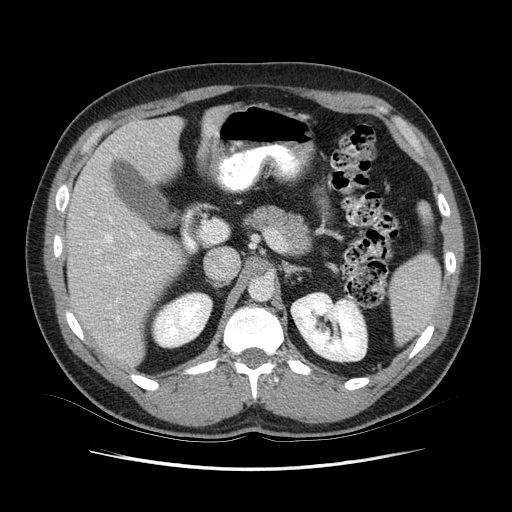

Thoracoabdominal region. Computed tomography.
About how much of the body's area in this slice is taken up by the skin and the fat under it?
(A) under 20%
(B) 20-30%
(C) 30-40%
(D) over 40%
Answer: (A) under 20%
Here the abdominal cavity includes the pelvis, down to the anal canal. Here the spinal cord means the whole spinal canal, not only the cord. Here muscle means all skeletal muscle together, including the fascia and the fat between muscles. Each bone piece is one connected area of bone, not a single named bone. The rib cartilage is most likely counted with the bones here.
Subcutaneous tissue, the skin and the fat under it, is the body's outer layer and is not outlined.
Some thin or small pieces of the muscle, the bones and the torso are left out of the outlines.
The bones appear in 11 outlined pieces: piece 1: (253, 399) (257, 397) (258, 377) (264, 373) (271, 373) (276, 367) (274, 355) (283, 355) (286, 352) (285, 349) (281, 351) (278, 349) (284, 337) (277, 316) (256, 304) (237, 308) (228, 318) (223, 330) (223, 343) (233, 359) (230, 364) (237, 373) (243, 373) (248, 377); inner edge: (251, 368) (255, 368) (256, 367) (257, 367) (260, 364) (266, 362) (268, 359) (268, 356) (262, 350) (261, 350) (258, 348) (248, 348) (247, 349) (244, 350) (239, 355) (239, 358) (240, 359) (240, 361) (241, 362) (244, 363) (247, 366) (248, 366); piece 2: (420, 155) (423, 155) (424, 154) (423, 152) (423, 148) (418, 138) (415, 135) (407, 123) (399, 116) (395, 114) (390, 114) (388, 109) (384, 106) (382, 105) (376, 105) (375, 108) (380, 113) (385, 115) (388, 114) (390, 115) (390, 120) (392, 123) (409, 145); piece 3: (180, 374) (197, 374) (198, 373) (209, 371) (213, 369) (216, 366) (216, 364) (220, 360) (223, 360) (224, 359) (224, 357) (226, 356) (226, 355) (224, 355) (222, 358) (219, 358) (218, 357) (211, 360) (200, 362) (195, 365) (187, 367) (182, 370) (179, 373); piece 4: (408, 358) (411, 358) (415, 354) (416, 354) (428, 342) (428, 341) (430, 339) (432, 335) (432, 333) (434, 329) (434, 327) (432, 324) (429, 324) (425, 328) (425, 329) (416, 340) (416, 342) (413, 348) (411, 350) (411, 351) (408, 355); piece 5: (61, 212) (63, 212) (65, 210) (65, 208) (67, 205) (67, 202) (69, 199) (69, 188) (68, 187) (68, 186) (65, 183) (62, 183) (58, 187) (58, 188) (57, 189) (57, 191) (56, 192) (56, 194) (55, 195) (55, 205) (56, 206) (56, 208) (59, 211) (60, 211); piece 6: (148, 390) (154, 390) (158, 388) (159, 385) (158, 383) (155, 380) (153, 379) (150, 379) (148, 377) (146, 377) (142, 374) (138, 374) (137, 373) (130, 373) (129, 375) (129, 377) (136, 384) (137, 384) (140, 387) (144, 389) (147, 389); piece 7: (86, 343) (85, 341) (85, 339) (84, 338) (84, 334) (83, 333) (83, 331) (81, 328) (81, 326) (77, 321) (77, 319) (75, 317) (73, 313) (70, 310) (66, 310) (65, 311) (65, 316) (66, 317) (66, 320) (70, 328) (72, 330) (72, 331) (81, 340) (82, 340); piece 8: (301, 374) (309, 374) (311, 373) (312, 371) (312, 369) (306, 364) (304, 364) (302, 362) (301, 362) (297, 359) (294, 359) (291, 356) (289, 355) (288, 356) (288, 358) (286, 360) (286, 362) (289, 366) (290, 369) (292, 371) (296, 373) (300, 373); piece 9: (349, 390) (356, 389) (357, 388) (359, 388) (360, 387) (362, 387) (363, 386) (364, 386) (368, 383) (368, 382) (369, 381) (369, 377) (368, 377) (367, 376) (361, 376) (360, 377) (352, 377) (351, 378) (348, 379) (344, 383) (344, 386) (346, 389) (348, 389); piece 10: (81, 153) (84, 153) (86, 152) (90, 148) (91, 145) (94, 142) (96, 141) (97, 138) (101, 134) (103, 130) (103, 127) (102, 126) (100, 126) (93, 132) (92, 132) (91, 134) (88, 137) (88, 138) (83, 143) (81, 147) (81, 149) (80, 150); piece 11: (443, 216) (449, 216) (450, 215) (450, 210) (449, 209) (449, 206) (448, 205) (448, 203) (447, 202) (446, 199) (444, 197) (443, 194) (442, 193) (439, 192) (437, 195) (437, 203) (438, 204) (438, 207) (439, 208) (439, 210) (440, 211) (440, 213). The mediastinum is outlined by (283, 330) (282, 316) (284, 312) (284, 308) (278, 305) (275, 302) (275, 290) (271, 283) (272, 267) (270, 265) (264, 263) (259, 263) (242, 291) (234, 307) (234, 310) (241, 305) (249, 304) (250, 303) (256, 303) (265, 306) (278, 316) (282, 324). The abdominal cavity is outlined by (349, 378) (388, 365) (415, 342) (433, 315) (444, 271) (431, 181) (383, 118) (336, 112) (279, 89) (240, 88) (130, 120) (101, 137) (70, 190) (63, 267) (73, 312) (103, 353) (144, 374) (195, 357) (264, 262) (273, 267) (276, 302) (285, 308) (284, 336) (313, 363). The torso is outlined by (203, 441) (244, 433) (315, 440) (349, 435) (420, 402) (453, 362) (479, 291) (477, 224) (464, 184) (433, 123) (392, 84) (354, 69) (304, 61) (170, 67) (102, 94) (71, 120) (57, 140) (35, 190) (25, 234) (27, 285) (40, 331) (66, 376) (99, 408) (147, 431). The muscle is outlined by (187, 426) (210, 425) (216, 423) (224, 418) (233, 416) (245, 410) (250, 406) (255, 406) (256, 405) (269, 410) (274, 414) (292, 418) (305, 423) (333, 422) (350, 417) (366, 409) (385, 392) (396, 385) (408, 373) (429, 356) (441, 344) (446, 337) (452, 320) (452, 316) (454, 310) (454, 302) (460, 281) (460, 273) (464, 259) (463, 227) (461, 223) (459, 210) (457, 207) (453, 190) (445, 168) (431, 143) (417, 127) (406, 119) (400, 112) (385, 100) (371, 94) (356, 92) (355, 91) (324, 90) (323, 89) (308, 88) (302, 86) (280, 85) (271, 83) (244, 83) (235, 85) (221, 84) (220, 85) (205, 86) (190, 90) (186, 90) (168, 97) (164, 97) (144, 103) (137, 104) (130, 107) (127, 107) (118, 110) (108, 116) (94, 122) (81, 134) (64, 157) (55, 174) (48, 196) (48, 203) (47, 204) (45, 227) (44, 228) (44, 245) (43, 246) (43, 262) (44, 263) (45, 273) (47, 276) (47, 280) (52, 290) (52, 293) (54, 297) (55, 311) (63, 338) (68, 347) (77, 356) (97, 371) (108, 381) (120, 387) (127, 392) (146, 411) (160, 419) (172, 423) (186, 425) with holes at (253, 399) (258, 377) (276, 367) (274, 355) (286, 352) (278, 349) (285, 330) (307, 359) (348, 377) (344, 386) (349, 390) (367, 384) (367, 374) (388, 365) (412, 343) (411, 358) (432, 335) (429, 322) (444, 269) (450, 274) (456, 266) (453, 252) (442, 252) (439, 229) (441, 216) (450, 215) (448, 203) (440, 192) (435, 199) (427, 173) (399, 148) (383, 118) (336, 112) (263, 87) (240, 88) (130, 120) (102, 136) (71, 189) (65, 183) (57, 189) (56, 208) (66, 215) (64, 238) (56, 233) (53, 240) (55, 257) (64, 251) (73, 310) (65, 311) (70, 328) (86, 343) (85, 331) (110, 359) (136, 371) (129, 375) (136, 384) (157, 389) (158, 383) (144, 375) (171, 369) (201, 353) (222, 318) (230, 364) (248, 377) and at (420, 155) (423, 155) (424, 154) (423, 152) (423, 148) (418, 138) (415, 135) (407, 123) (399, 116) (395, 114) (390, 114) (388, 109) (384, 106) (382, 105) (376, 105) (375, 108) (380, 113) (385, 115) (388, 114) (390, 115) (390, 120) (392, 123) (409, 145) and at (180, 374) (197, 374) (198, 373) (209, 371) (213, 369) (216, 366) (216, 364) (220, 360) (223, 360) (224, 359) (224, 357) (226, 356) (226, 355) (224, 355) (222, 358) (219, 358) (218, 357) (211, 360) (200, 362) (195, 365) (187, 367) (182, 370) (179, 373) and at (301, 374) (309, 374) (311, 373) (312, 371) (312, 369) (306, 364) (304, 364) (302, 362) (301, 362) (297, 359) (294, 359) (291, 356) (289, 355) (288, 356) (288, 358) (286, 360) (286, 362) (289, 366) (290, 369) (292, 371) (296, 373) (300, 373) and at (81, 153) (84, 153) (86, 152) (90, 148) (91, 145) (94, 142) (96, 141) (97, 138) (101, 134) (103, 130) (103, 127) (102, 126) (100, 126) (93, 132) (92, 132) (91, 134) (88, 137) (88, 138) (83, 143) (81, 147) (81, 149) (80, 150). The spinal cord is outlined by (251, 368) (255, 368) (256, 367) (257, 367) (260, 364) (266, 362) (268, 359) (268, 356) (262, 350) (261, 350) (258, 348) (248, 348) (247, 349) (244, 350) (239, 355) (239, 358) (240, 359) (240, 361) (241, 362) (244, 363) (247, 366) (248, 366).